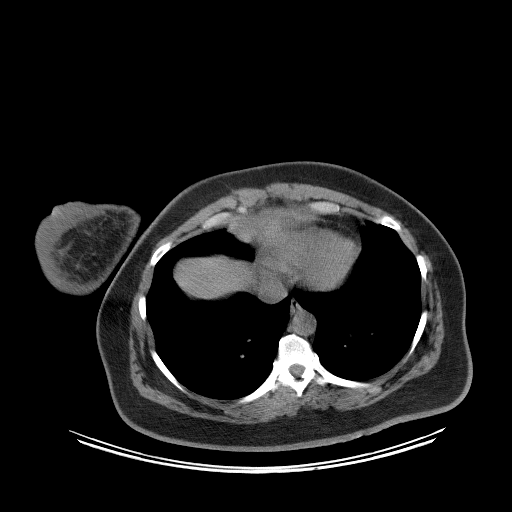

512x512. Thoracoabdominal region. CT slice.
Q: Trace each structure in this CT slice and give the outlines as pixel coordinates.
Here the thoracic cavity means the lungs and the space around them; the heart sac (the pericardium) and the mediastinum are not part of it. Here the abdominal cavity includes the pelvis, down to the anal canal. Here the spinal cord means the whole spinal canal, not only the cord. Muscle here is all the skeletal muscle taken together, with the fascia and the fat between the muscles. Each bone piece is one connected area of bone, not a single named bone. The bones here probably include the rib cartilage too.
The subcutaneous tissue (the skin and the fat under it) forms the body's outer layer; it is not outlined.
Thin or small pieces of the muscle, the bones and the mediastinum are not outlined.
A: Outlines (x, y in pixels):
spinal cord: (292, 365) (300, 365) (301, 366) (302, 366) (304, 368) (303, 369) (303, 371) (299, 375) (299, 376) (294, 376) (290, 372) (290, 371) (289, 370) (289, 369) (290, 368) (290, 367)
muscle: (276, 181) (307, 183) (340, 191) (386, 211) (410, 231) (419, 249) (430, 259) (440, 293) (444, 337) (437, 362) (426, 373) (367, 406) (351, 410) (302, 407) (294, 416) (283, 415) (259, 423) (231, 423) (195, 417) (141, 396) (130, 377) (128, 339) (132, 298) (149, 257) (147, 265) (153, 271) (147, 293) (138, 294) (138, 313) (144, 322) (147, 320) (152, 332) (155, 348) (148, 349) (151, 359) (183, 393) (188, 389) (208, 398) (236, 399) (236, 403) (241, 405) (275, 392) (282, 385) (293, 389) (300, 398) (312, 380) (320, 386) (331, 384) (365, 388) (372, 392) (378, 387) (367, 381) (387, 372) (405, 354) (404, 362) (415, 350) (429, 313) (425, 308) (422, 310) (421, 299) (421, 282) (427, 279) (428, 267) (424, 256) (420, 253) (414, 255) (406, 245) (400, 236) (400, 223) (389, 214) (371, 220) (340, 212) (342, 207) (338, 203) (327, 200) (311, 200) (306, 204) (307, 208) (295, 201) (283, 200) (249, 208) (249, 203) (241, 203) (234, 208) (237, 213) (222, 210) (204, 217) (200, 220) (200, 228) (204, 231) (174, 246) (168, 239) (151, 254) (162, 237) (231, 189) (262, 187)
mediastinum 1: (254, 259) (261, 265) (289, 277) (292, 281) (292, 286) (305, 289) (294, 287) (291, 290) (291, 295) (304, 309) (315, 316) (316, 329) (311, 344) (308, 340) (293, 332) (283, 335) (289, 320) (291, 302) (290, 295) (277, 303) (267, 304) (244, 291) (253, 273) (252, 263)
mediastinum 2: (342, 212) (343, 213) (353, 214) (356, 216) (359, 216) (362, 218) (365, 218) (366, 219) (364, 222) (364, 226) (359, 228) (359, 234) (360, 235) (360, 241) (360, 239) (358, 238) (355, 235) (354, 235) (347, 227) (338, 221) (336, 220) (328, 220) (327, 219) (324, 219) (319, 217) (319, 214) (337, 214)
abdominal cavity 1: (212, 253) (227, 254) (236, 258) (241, 258) (245, 259) (249, 262) (252, 262) (251, 263) (252, 273) (248, 280) (245, 289) (243, 291) (238, 291) (228, 297) (190, 299) (186, 296) (174, 277) (174, 273) (173, 272) (174, 265) (180, 258) (186, 256) (202, 256)
abdominal cavity 2: (277, 201) (295, 202) (311, 212) (318, 214) (318, 217) (316, 219) (295, 219) (277, 225) (269, 233) (265, 235) (261, 241) (257, 244) (256, 253) (255, 249) (236, 239) (226, 228) (225, 225) (235, 214) (245, 213) (250, 208) (253, 208) (256, 206) (262, 206)
pericardium: (318, 218) (328, 221) (338, 222) (347, 228) (354, 236) (359, 239) (360, 242) (361, 251) (353, 267) (352, 272) (347, 280) (339, 288) (331, 291) (311, 291) (301, 286) (292, 285) (293, 281) (289, 276) (267, 267) (255, 260) (258, 244) (274, 228) (295, 220) (316, 220)
bones 1: (292, 333) (309, 342) (320, 363) (331, 373) (345, 379) (366, 381) (377, 388) (370, 391) (365, 387) (320, 385) (312, 379) (300, 397) (293, 388) (282, 384) (275, 391) (268, 391) (249, 402) (237, 403) (237, 399) (251, 393) (266, 379) (277, 356) (280, 338); inner edge: (292, 365) (300, 365) (301, 366) (302, 366) (304, 368) (303, 369) (303, 371) (299, 375) (299, 376) (294, 376) (290, 372) (290, 371) (289, 370) (289, 369) (290, 368) (290, 367)
bones 2: (222, 211) (230, 211) (232, 212) (233, 214) (233, 215) (225, 224) (223, 224) (218, 227) (213, 228) (208, 231) (205, 231) (201, 228) (201, 220) (202, 219) (204, 218) (206, 218) (207, 217) (209, 217) (216, 213) (218, 213)
bones 3: (151, 348) (152, 349) (154, 349) (156, 351) (160, 359) (163, 362) (163, 363) (166, 366) (169, 371) (186, 389) (186, 391) (187, 392) (183, 392) (177, 387) (176, 387) (162, 373) (162, 372) (155, 364) (154, 361) (151, 357) (151, 355) (149, 352) (149, 349)
bones 4: (311, 201) (327, 201) (328, 202) (333, 202) (334, 203) (336, 203) (337, 204) (338, 204) (341, 207) (341, 209) (340, 210) (340, 211) (337, 213) (318, 213) (317, 212) (314, 212) (313, 211) (311, 211) (308, 208) (308, 207) (307, 206) (307, 204) (309, 202) (310, 202)
bones 5: (425, 309) (427, 310) (428, 313) (427, 314) (427, 319) (426, 320) (426, 323) (425, 324) (423, 332) (420, 337) (420, 339) (415, 346) (414, 350) (404, 361) (406, 354) (411, 345) (412, 340) (417, 329) (417, 327) (419, 323) (419, 320) (421, 316) (421, 313) (422, 311)
bones 6: (168, 240) (171, 240) (172, 241) (173, 243) (173, 246) (170, 249) (169, 249) (158, 260) (158, 261) (153, 267) (152, 266) (149, 266) (148, 265) (148, 263) (149, 262) (149, 260) (150, 259) (150, 257) (152, 253) (161, 244) (162, 244) (164, 242)
bones 7: (384, 214) (389, 215) (395, 220) (396, 220) (399, 223) (401, 227) (401, 235) (400, 235) (394, 229) (388, 226) (386, 226) (385, 225) (383, 225) (379, 223) (376, 223) (374, 221) (373, 221) (373, 220) (376, 217) (378, 216) (380, 216) (381, 215) (383, 215)
bones 8: (417, 254) (420, 254) (421, 255) (422, 255) (426, 262) (426, 266) (427, 267) (427, 272) (426, 273) (426, 279) (424, 281) (422, 281) (421, 280) (421, 274) (420, 273) (419, 266) (417, 263) (417, 261) (416, 260) (416, 258) (415, 257) (415, 255) (416, 255)
bones 9: (140, 293) (142, 293) (144, 295) (145, 295) (145, 310) (146, 311) (146, 319) (144, 321) (141, 318) (141, 317) (140, 316) (140, 314) (139, 313) (139, 309) (138, 308) (138, 298) (139, 297) (139, 294)
torso: (291, 160) (335, 163) (379, 181) (447, 240) (466, 292) (473, 374) (465, 397) (439, 414) (287, 451) (203, 449) (134, 430) (116, 411) (96, 342) (97, 313) (119, 266) (88, 295) (59, 292) (36, 257) (40, 220) (68, 201) (118, 203) (140, 213) (142, 230) (199, 179)
thoracic cavity 1: (219, 228) (225, 228) (252, 248) (254, 258) (249, 261) (222, 252) (180, 257) (172, 272) (187, 298) (228, 298) (245, 292) (273, 305) (290, 296) (288, 320) (270, 372) (255, 389) (235, 399) (208, 397) (184, 386) (155, 349) (146, 310) (146, 295) (159, 260) (182, 241)
thoracic cavity 2: (367, 219) (394, 230) (414, 256) (421, 281) (421, 312) (410, 345) (403, 356) (384, 373) (365, 381) (339, 376) (321, 363) (312, 347) (317, 329) (316, 316) (299, 303) (292, 295) (292, 290) (331, 292) (339, 289) (352, 274) (361, 254) (360, 228) (365, 226)